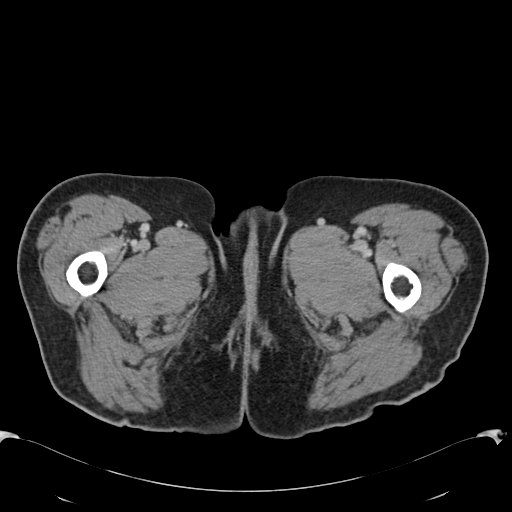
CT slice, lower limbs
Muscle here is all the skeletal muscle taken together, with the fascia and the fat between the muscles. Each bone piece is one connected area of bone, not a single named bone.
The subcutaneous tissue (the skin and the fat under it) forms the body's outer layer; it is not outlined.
The muscle appears in 2 outlined pieces: piece 1: [[85,193],[119,195],[139,205],[157,223],[196,232],[207,242],[213,256],[214,287],[162,372],[166,400],[161,411],[150,414],[121,413],[102,406],[94,399],[84,386],[77,369],[74,322],[50,299],[40,274],[38,250],[35,244],[41,227],[61,204]] with a hole at [[91,250],[101,250],[103,252],[103,254],[105,257],[105,259],[107,263],[108,275],[103,284],[103,286],[98,292],[88,297],[82,297],[77,291],[70,286],[66,279],[66,275],[65,273],[69,264],[76,256],[81,253],[83,253],[87,251],[90,251]]; piece 2: [[391,202],[425,205],[450,223],[461,238],[468,256],[468,265],[447,305],[425,326],[421,358],[406,378],[344,407],[324,411],[308,410],[305,406],[306,398],[320,369],[321,354],[312,343],[284,287],[284,247],[292,233],[303,226],[337,224],[372,206]]; inner edge: [[389,262],[395,262],[396,263],[403,264],[407,266],[416,273],[421,283],[421,294],[420,295],[420,297],[409,309],[406,310],[402,313],[396,311],[394,309],[394,308],[386,301],[383,295],[383,288],[382,287],[381,278],[382,277],[383,271],[386,265]]. The left leg is outlined by [[316,175],[405,179],[434,185],[455,196],[472,211],[485,236],[489,257],[485,288],[460,355],[447,367],[437,385],[400,405],[379,405],[360,422],[299,438],[268,438],[254,432],[245,417],[247,327],[252,305],[248,258],[252,204],[277,210],[291,185]]. The right leg is outlined by [[92,172],[176,176],[193,180],[203,185],[214,199],[212,229],[216,234],[225,233],[236,214],[251,205],[247,253],[251,305],[246,327],[244,418],[236,430],[204,435],[118,427],[66,401],[52,387],[20,291],[17,251],[26,221],[42,196],[69,177]]. The bones appear in 2 outlined pieces: piece 1: [[389,262],[395,262],[396,263],[403,264],[407,266],[416,273],[421,283],[421,294],[420,295],[420,297],[409,309],[406,310],[402,313],[396,311],[394,309],[394,308],[386,301],[383,295],[383,288],[382,287],[381,278],[382,277],[383,271],[386,265]]; piece 2: [[91,250],[101,250],[103,252],[103,254],[105,257],[105,259],[107,263],[108,275],[103,284],[103,286],[98,292],[88,297],[82,297],[77,291],[70,286],[66,279],[66,275],[65,273],[69,264],[76,256],[81,253],[83,253],[87,251],[90,251]].